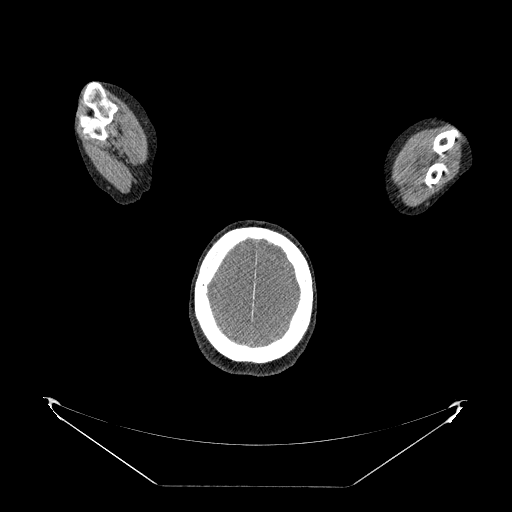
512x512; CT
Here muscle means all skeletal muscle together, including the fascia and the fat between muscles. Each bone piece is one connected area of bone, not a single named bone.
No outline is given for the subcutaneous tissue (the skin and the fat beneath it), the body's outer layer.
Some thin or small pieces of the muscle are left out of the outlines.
{"head":[[[245,219],[272,222],[278,224],[290,232],[305,250],[313,269],[315,279],[317,311],[315,327],[307,347],[292,366],[280,373],[268,376],[232,374],[223,371],[211,364],[206,360],[198,349],[188,320],[190,284],[200,256],[213,236],[218,231],[232,222]]],"bones":[{"outer":[[249,225],[264,226],[271,228],[283,233],[290,238],[305,255],[313,277],[314,302],[312,317],[308,330],[292,351],[279,359],[263,364],[232,361],[217,352],[203,335],[194,316],[193,309],[194,281],[198,267],[206,251],[212,243],[227,230],[238,226]],"hole":[[248,239],[264,240],[269,244],[278,247],[283,252],[292,267],[294,279],[298,288],[298,298],[296,305],[289,318],[286,329],[279,337],[267,343],[259,345],[250,345],[247,343],[236,341],[229,337],[217,322],[208,294],[209,285],[226,256],[238,244]]},[[92,81],[99,82],[104,88],[107,97],[115,103],[118,107],[112,121],[105,127],[108,133],[108,137],[104,142],[96,138],[85,137],[82,133],[82,128],[80,126],[80,115],[87,116],[93,115],[93,112],[81,98],[85,86],[89,82]],[[452,128],[454,128],[457,130],[459,134],[459,137],[455,140],[453,144],[453,146],[450,149],[447,150],[445,152],[441,152],[436,154],[436,153],[434,152],[432,149],[432,144],[433,143],[434,138],[442,131],[447,130],[448,129],[451,129]],[[435,162],[443,162],[445,163],[448,169],[448,172],[447,173],[443,171],[438,181],[436,183],[434,183],[431,186],[431,187],[428,187],[426,185],[424,181],[425,180],[425,178],[426,177],[426,174],[428,171],[428,169],[429,167],[433,163]]],"left_arm":[[[433,116],[444,117],[451,120],[465,134],[469,140],[471,146],[472,157],[473,158],[472,164],[471,167],[441,197],[425,211],[416,215],[407,215],[399,212],[388,201],[386,197],[383,181],[383,165],[385,157],[388,149],[394,139],[404,129],[419,120]]],"brain":[[[248,239],[264,240],[269,244],[278,247],[283,252],[292,267],[294,279],[298,288],[298,298],[296,305],[289,318],[286,329],[279,337],[267,343],[259,345],[250,345],[247,343],[236,341],[229,337],[217,322],[208,294],[209,285],[226,256],[238,244]]],"muscle":[[[105,88],[128,105],[141,120],[148,137],[146,173],[136,191],[129,196],[122,195],[97,171],[77,129],[76,117],[81,99],[92,112],[92,115],[79,115],[81,133],[85,138],[103,143],[107,140],[109,133],[106,127],[113,121],[119,107],[108,97]],{"outer":[[441,123],[450,123],[451,124],[453,124],[459,129],[460,129],[463,133],[465,141],[462,145],[462,159],[461,160],[461,167],[457,174],[452,179],[451,179],[442,188],[441,188],[437,192],[434,193],[426,200],[415,207],[404,206],[401,204],[397,199],[396,193],[395,192],[395,188],[394,187],[394,181],[392,178],[392,167],[394,163],[395,157],[400,150],[403,144],[411,135],[424,128],[429,127],[432,125],[440,124]],"holes":[[[452,128],[454,128],[457,130],[459,134],[459,137],[455,140],[453,144],[453,146],[450,149],[447,150],[445,152],[441,152],[436,154],[436,153],[434,152],[432,149],[432,144],[433,143],[434,138],[442,131],[447,130],[448,129],[451,129]],[[435,162],[443,162],[445,163],[448,169],[448,172],[447,173],[443,171],[438,181],[436,183],[434,183],[431,186],[431,187],[428,187],[426,185],[424,181],[425,180],[425,178],[426,177],[426,174],[428,171],[428,169],[429,167],[433,163]]]},[[194,317],[194,318],[196,321],[196,323],[197,324],[197,325],[198,326],[198,327],[199,328],[202,335],[211,347],[210,347],[208,345],[208,344],[206,342],[206,341],[200,333],[200,332],[198,329],[198,327],[196,325],[196,322],[194,319]]],"right_arm":[[[90,81],[110,82],[128,91],[144,107],[155,128],[157,136],[157,149],[152,165],[151,185],[149,189],[142,194],[140,199],[133,203],[125,205],[117,203],[107,193],[100,189],[89,175],[79,153],[74,137],[73,120],[76,111],[78,93],[82,86]]]}